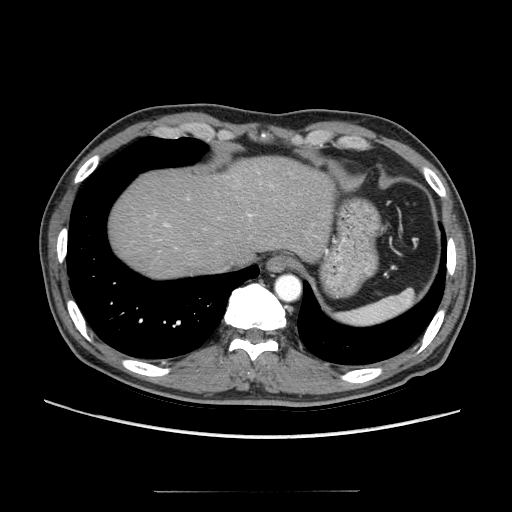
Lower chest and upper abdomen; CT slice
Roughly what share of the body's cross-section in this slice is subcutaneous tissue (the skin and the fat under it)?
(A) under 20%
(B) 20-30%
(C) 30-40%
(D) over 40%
(A) under 20%
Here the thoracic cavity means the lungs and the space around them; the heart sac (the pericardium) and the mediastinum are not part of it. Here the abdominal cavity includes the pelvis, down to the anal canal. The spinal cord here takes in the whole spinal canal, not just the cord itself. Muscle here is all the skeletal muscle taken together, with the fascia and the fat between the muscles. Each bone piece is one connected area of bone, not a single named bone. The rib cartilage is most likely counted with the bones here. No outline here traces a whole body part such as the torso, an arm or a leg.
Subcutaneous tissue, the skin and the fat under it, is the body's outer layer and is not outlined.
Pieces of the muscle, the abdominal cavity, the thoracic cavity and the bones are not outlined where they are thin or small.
bones 1: [[252,282],[264,286],[277,298],[284,307],[287,320],[286,327],[283,329],[277,329],[274,334],[278,343],[278,351],[265,350],[253,361],[247,352],[241,348],[229,352],[227,350],[229,342],[234,334],[234,329],[222,321],[231,292],[237,287]]; inner edge: [[251,328],[257,328],[260,330],[262,330],[263,331],[264,331],[264,332],[265,333],[265,336],[264,337],[264,338],[260,341],[259,341],[256,343],[253,343],[252,342],[251,342],[247,338],[246,338],[244,336],[244,332],[246,330],[248,330]]
bones 2: [[190,121],[205,122],[215,129],[229,130],[234,134],[235,137],[233,139],[229,140],[214,139],[211,141],[205,141],[193,136],[190,133],[187,133],[186,135],[178,138],[164,138],[150,135],[151,130],[157,126],[163,125],[174,127],[183,122],[189,122]]
bones 3: [[317,129],[324,129],[332,132],[334,135],[333,137],[335,139],[342,135],[360,136],[365,138],[372,147],[363,150],[353,148],[338,148],[333,146],[330,142],[326,142],[323,147],[318,147],[315,145],[294,145],[290,141],[291,137],[296,134],[303,135]]
bones 4: [[124,358],[135,358],[136,359],[144,361],[147,363],[155,364],[156,365],[160,365],[162,367],[169,367],[170,368],[170,371],[168,373],[164,375],[162,375],[161,376],[149,376],[148,375],[140,374],[139,373],[134,372],[124,367],[121,363],[121,360]]
bones 5: [[439,308],[444,308],[445,309],[445,314],[444,315],[443,321],[438,331],[436,333],[432,340],[426,346],[426,347],[419,353],[415,354],[416,351],[418,349],[418,347],[420,345],[420,340],[423,333],[425,331],[426,328],[428,326],[432,318]]
bones 6: [[379,366],[382,368],[383,370],[382,372],[378,376],[372,379],[370,379],[363,382],[353,383],[352,382],[349,382],[348,381],[343,380],[340,377],[340,375],[341,374],[344,373],[348,370],[361,369],[362,368],[367,368],[368,367],[378,367]]
bones 7: [[70,298],[72,298],[75,301],[78,308],[80,310],[86,322],[86,324],[88,327],[88,329],[89,330],[88,331],[88,333],[92,338],[92,342],[90,342],[88,341],[76,328],[68,312],[68,310],[66,306],[66,301],[67,299],[69,299]]
bones 8: [[424,165],[429,167],[436,174],[436,175],[439,178],[440,181],[442,183],[445,189],[445,192],[446,193],[446,197],[440,197],[438,195],[437,195],[436,193],[429,185],[429,184],[426,181],[420,169],[421,167]]
bones 9: [[95,154],[98,154],[100,156],[100,161],[99,162],[99,164],[97,166],[97,167],[82,182],[80,182],[79,183],[77,183],[76,184],[75,183],[74,183],[74,178],[75,177],[78,170],[80,168],[80,167],[89,158],[90,158],[93,155],[94,155]]
bones 10: [[448,237],[452,237],[453,238],[453,239],[454,240],[454,242],[455,243],[455,247],[456,248],[456,263],[455,264],[455,268],[454,269],[454,271],[453,272],[453,273],[452,274],[452,275],[449,275],[446,277],[446,256],[447,255],[447,238]]
bones 11: [[64,226],[65,226],[67,228],[67,252],[66,253],[66,256],[65,257],[65,260],[62,263],[60,263],[59,262],[59,261],[58,260],[58,258],[57,257],[57,236],[58,235],[58,233],[59,232],[59,231],[61,229],[61,228],[62,227],[63,227]]
mediastinum 1: [[274,260],[280,260],[287,268],[295,270],[303,278],[302,299],[295,321],[288,319],[286,315],[285,307],[278,298],[264,285],[256,281],[252,281],[242,285],[247,280],[254,279],[258,276],[260,272],[259,268],[260,266],[265,264],[266,262],[267,263]]
mediastinum 2: [[330,146],[338,149],[353,149],[360,151],[369,150],[372,148],[378,147],[385,148],[397,154],[405,160],[421,176],[421,178],[413,175],[408,175],[405,173],[392,173],[388,168],[386,162],[379,157],[372,159],[370,161],[360,162],[328,150]]
abdominal cavity: [[245,135],[261,143],[324,147],[360,163],[379,158],[392,174],[423,178],[439,204],[441,255],[422,299],[383,323],[353,327],[328,317],[309,282],[280,259],[172,280],[150,279],[118,259],[108,242],[107,218],[138,174],[193,164],[208,149],[206,142]]
muscle: [[186,111],[203,112],[221,121],[227,121],[232,123],[261,122],[291,129],[302,128],[311,123],[319,121],[333,121],[334,120],[335,121],[345,121],[365,127],[378,134],[381,134],[407,144],[430,161],[441,173],[449,187],[454,202],[454,207],[457,213],[457,217],[464,234],[465,248],[466,249],[467,271],[466,272],[466,286],[465,287],[465,295],[463,305],[461,308],[459,316],[446,339],[430,355],[421,362],[412,365],[410,367],[404,369],[386,379],[360,388],[350,389],[338,392],[332,392],[331,393],[322,393],[321,394],[299,394],[298,393],[288,393],[282,391],[277,393],[273,393],[264,389],[259,383],[257,384],[254,382],[250,385],[247,390],[237,390],[232,388],[225,391],[213,392],[212,393],[198,393],[197,392],[180,390],[171,387],[166,387],[132,376],[130,374],[107,364],[80,345],[65,327],[58,313],[52,294],[50,275],[49,274],[49,265],[48,264],[48,228],[51,216],[64,193],[71,174],[80,161],[96,146],[106,139],[135,123],[147,120],[155,120],[157,118],[166,114],[179,113]], around a hole outlined by [[190,121],[229,130],[236,138],[264,130],[288,145],[296,134],[324,129],[335,139],[363,137],[373,148],[397,154],[422,178],[421,167],[429,167],[445,189],[446,197],[436,197],[443,231],[455,243],[456,263],[438,306],[445,309],[443,321],[426,347],[415,354],[420,337],[377,363],[383,370],[378,376],[353,383],[340,377],[347,366],[309,352],[288,323],[275,331],[278,351],[265,350],[252,361],[241,348],[227,350],[234,329],[222,321],[202,346],[162,359],[160,365],[170,371],[161,376],[124,367],[121,360],[130,357],[89,326],[88,341],[68,312],[70,277],[66,261],[57,257],[58,233],[69,227],[83,183],[74,183],[74,178],[95,154],[101,164],[157,126]]
thoracic cavity 1: [[149,135],[192,136],[204,141],[207,149],[193,163],[140,172],[122,190],[105,224],[113,255],[153,281],[222,274],[252,265],[259,269],[256,277],[230,292],[212,338],[160,364],[130,357],[96,335],[73,297],[66,263],[70,214],[83,182],[119,150]]
thoracic cavity 2: [[440,223],[446,235],[443,294],[438,308],[421,336],[407,349],[377,363],[377,366],[349,369],[345,365],[317,357],[296,338],[288,320],[295,322],[298,317],[304,280],[308,282],[321,311],[328,318],[353,328],[383,324],[419,303],[429,291],[440,266]]
spinal cord: [[251,328],[257,328],[260,330],[262,330],[263,331],[264,331],[264,332],[265,333],[265,336],[264,337],[264,338],[260,341],[259,341],[256,343],[253,343],[252,342],[251,342],[247,338],[246,338],[244,336],[244,332],[246,330],[248,330]]